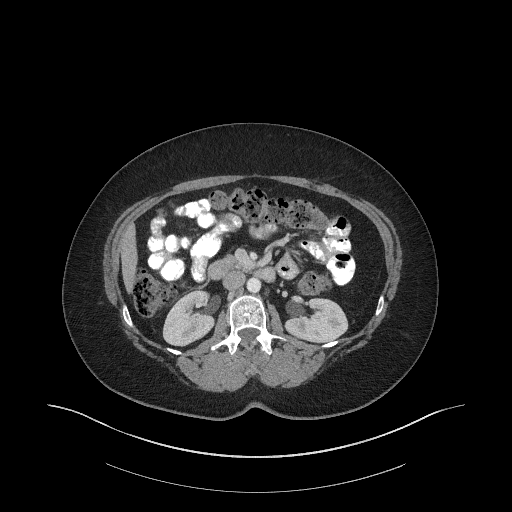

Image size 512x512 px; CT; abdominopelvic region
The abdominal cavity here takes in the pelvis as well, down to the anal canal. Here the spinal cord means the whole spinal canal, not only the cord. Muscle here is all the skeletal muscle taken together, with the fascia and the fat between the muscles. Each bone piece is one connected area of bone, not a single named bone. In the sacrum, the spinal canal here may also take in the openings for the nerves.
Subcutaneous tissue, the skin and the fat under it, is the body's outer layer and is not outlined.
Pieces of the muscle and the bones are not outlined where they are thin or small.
The muscle is outlined by [[208,392],[234,391],[242,387],[251,379],[258,380],[263,384],[270,387],[290,388],[298,386],[301,384],[305,384],[313,379],[316,375],[320,373],[325,368],[334,361],[336,361],[340,357],[342,357],[345,354],[358,349],[367,344],[368,341],[372,337],[373,332],[381,323],[386,315],[387,308],[389,303],[393,299],[395,295],[398,282],[400,278],[400,270],[402,265],[402,250],[400,245],[399,237],[391,220],[380,209],[376,207],[372,203],[362,198],[356,198],[330,184],[321,183],[316,179],[308,179],[297,176],[268,175],[260,173],[242,174],[241,175],[237,175],[236,174],[215,175],[214,176],[200,177],[195,179],[183,181],[172,186],[168,190],[162,191],[151,196],[147,196],[135,202],[126,208],[115,220],[107,236],[104,245],[103,260],[102,261],[103,265],[103,281],[104,282],[104,289],[108,302],[116,309],[120,323],[122,326],[122,330],[128,339],[132,342],[133,345],[138,350],[143,352],[147,356],[160,362],[172,373],[176,375],[178,377],[178,379],[184,384],[189,385],[193,388],[200,389]], around a hole outlined by [[176,355],[209,337],[222,309],[230,332],[211,349],[224,344],[230,354],[257,343],[270,354],[273,339],[286,340],[266,328],[269,303],[285,333],[323,348],[358,331],[384,303],[377,229],[343,199],[269,179],[163,199],[128,227],[118,281],[128,326]]. The abdominal cavity is outlined by [[182,351],[209,337],[219,312],[243,293],[260,296],[266,309],[269,303],[273,304],[284,332],[308,343],[322,344],[358,331],[373,314],[386,278],[384,249],[377,229],[343,199],[269,179],[243,179],[163,199],[128,227],[118,281],[135,325],[150,339]]. The bones appear in 3 outlined pieces: piece 1: [[230,354],[233,354],[240,344],[251,349],[257,343],[262,351],[270,354],[273,339],[286,340],[285,337],[273,334],[267,330],[266,311],[260,297],[243,294],[230,302],[228,306],[230,332],[225,338],[211,346],[211,349],[214,350],[224,344],[227,346]] with a hole at [[247,343],[249,343],[252,340],[253,340],[254,339],[254,338],[258,334],[258,330],[257,329],[255,329],[254,328],[245,328],[244,329],[243,329],[242,330],[240,330],[239,331],[239,332],[238,333],[242,339],[242,342],[246,342]]; piece 2: [[132,328],[134,327],[133,322],[129,314],[129,312],[128,311],[127,306],[125,302],[123,302],[122,303],[122,314],[123,315],[123,318],[125,322],[128,325],[128,326]]; piece 3: [[376,316],[378,315],[381,312],[382,310],[382,308],[383,307],[383,304],[384,303],[384,296],[382,293],[380,294],[378,298],[378,302],[377,303],[377,305],[376,306],[376,309],[374,313],[374,314]]. The spinal cord is outlined by [[247,343],[249,343],[252,340],[253,340],[254,339],[254,338],[258,334],[258,330],[257,329],[255,329],[254,328],[245,328],[244,329],[243,329],[242,330],[240,330],[239,331],[239,332],[238,333],[242,339],[242,342],[246,342]]. The torso is outlined by [[207,420],[231,419],[253,407],[299,420],[349,413],[387,393],[424,349],[439,290],[429,230],[397,179],[355,146],[315,130],[278,123],[232,122],[199,128],[162,141],[125,163],[81,218],[69,246],[61,288],[64,321],[77,353],[115,393],[151,408]].